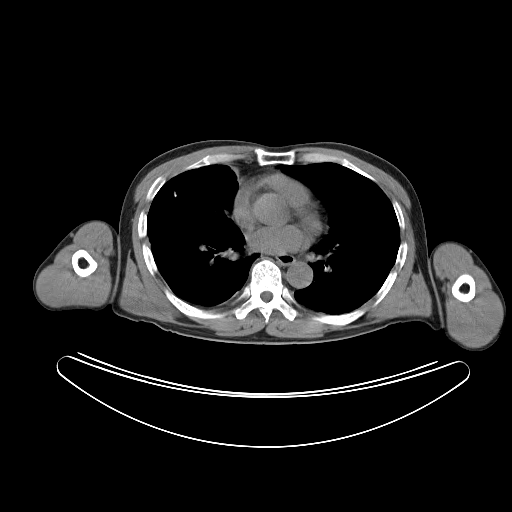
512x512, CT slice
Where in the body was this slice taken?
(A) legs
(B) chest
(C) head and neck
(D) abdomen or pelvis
Answer: (B) chest
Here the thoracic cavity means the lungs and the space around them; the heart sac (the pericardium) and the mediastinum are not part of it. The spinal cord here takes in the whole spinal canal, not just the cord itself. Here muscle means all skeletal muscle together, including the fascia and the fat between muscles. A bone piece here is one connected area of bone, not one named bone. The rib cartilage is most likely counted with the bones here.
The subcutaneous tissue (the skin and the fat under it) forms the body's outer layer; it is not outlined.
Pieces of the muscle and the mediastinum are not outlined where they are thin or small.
{"muscle":[[[229,145],[254,146],[255,161],[242,159],[244,156],[240,153],[207,153],[168,179],[163,174],[159,175],[145,195],[145,200],[150,202],[147,212],[142,209],[138,215],[137,235],[141,239],[147,237],[149,242],[141,244],[146,268],[151,276],[160,274],[168,287],[163,289],[166,298],[181,313],[200,319],[221,319],[229,313],[243,320],[252,310],[258,309],[267,324],[275,309],[291,322],[300,310],[306,308],[317,312],[309,317],[312,323],[344,326],[366,312],[360,307],[371,298],[374,297],[373,307],[384,298],[398,275],[398,271],[392,268],[401,269],[407,256],[408,244],[400,238],[400,230],[405,229],[402,208],[396,199],[390,200],[371,174],[346,157],[320,151],[298,153],[295,148],[321,147],[344,151],[381,169],[405,190],[411,204],[408,215],[415,242],[414,259],[432,296],[432,314],[427,317],[398,316],[329,331],[320,337],[302,338],[270,335],[263,329],[247,335],[222,336],[199,327],[164,322],[124,310],[118,297],[128,251],[133,247],[132,218],[137,185],[149,171],[166,161],[200,149]],{"outer":[[91,222],[100,222],[105,224],[111,231],[113,237],[114,255],[111,259],[112,285],[107,301],[99,306],[67,305],[54,307],[44,303],[38,296],[36,290],[36,282],[40,272],[46,266],[49,265],[57,253],[68,242],[73,239],[76,232],[82,226]],"hole":[[78,249],[84,249],[86,250],[91,255],[91,256],[96,261],[97,263],[97,266],[95,270],[89,275],[85,277],[81,277],[79,276],[74,271],[73,269],[73,267],[72,266],[72,263],[71,262],[71,257],[73,253],[76,250]]},{"outer":[[446,243],[453,243],[463,247],[474,258],[477,265],[486,274],[492,289],[500,300],[502,313],[496,333],[489,342],[482,346],[466,346],[452,337],[448,332],[446,326],[444,296],[441,293],[440,285],[435,276],[433,264],[433,256],[435,251],[438,247]],"hole":[[462,273],[468,273],[470,275],[471,275],[473,277],[474,281],[475,282],[475,294],[473,298],[471,300],[467,302],[463,302],[462,301],[460,301],[458,299],[454,297],[454,296],[452,294],[452,291],[451,290],[452,288],[452,284],[454,282],[456,278]]},[[228,302],[231,302],[230,303],[230,304],[232,307],[227,312],[226,311],[215,311],[215,310],[212,308],[205,308],[211,308],[212,307],[214,307],[215,306],[218,306],[219,305],[221,305],[222,304],[225,304]]],"spinal_cord":[[[265,291],[268,291],[269,292],[270,292],[272,294],[272,296],[271,297],[271,298],[268,301],[265,301],[264,300],[263,300],[261,298],[261,293],[262,293],[263,292],[264,292]]],"torso":[[[210,139],[246,140],[270,146],[341,142],[370,151],[400,169],[420,202],[429,274],[439,303],[441,329],[434,331],[424,323],[409,322],[325,343],[246,345],[185,337],[151,323],[117,316],[110,307],[119,270],[117,229],[122,202],[131,181],[159,154]]],"bones":[{"outer":[[262,259],[271,260],[279,268],[282,283],[304,309],[300,309],[299,314],[291,321],[275,308],[272,310],[267,323],[258,308],[252,309],[243,319],[238,319],[234,314],[228,312],[233,307],[231,304],[232,301],[241,293],[243,287],[250,280],[252,265]],"hole":[[265,291],[268,291],[269,292],[270,292],[272,294],[272,296],[271,297],[271,298],[268,301],[265,301],[264,300],[263,300],[261,298],[261,293],[262,293],[263,292],[264,292]]},[[256,147],[272,152],[283,152],[294,149],[298,154],[308,152],[320,152],[341,156],[346,158],[360,169],[371,175],[376,181],[375,182],[348,167],[331,161],[309,163],[303,163],[296,161],[292,164],[260,165],[256,161],[256,155],[254,152],[254,149]],[[165,288],[169,288],[177,297],[191,305],[200,308],[204,308],[205,309],[212,309],[214,310],[215,312],[226,312],[227,313],[221,318],[200,318],[199,317],[194,317],[193,316],[192,317],[191,316],[188,316],[181,312],[167,298],[164,292],[164,289]],[[358,308],[363,308],[365,309],[365,312],[357,319],[344,325],[335,325],[334,324],[319,323],[318,322],[316,323],[315,322],[312,322],[310,320],[310,317],[313,314],[315,314],[318,312],[321,312],[325,314],[338,315],[339,314],[351,312]],[[462,273],[468,273],[470,275],[471,275],[473,277],[474,281],[475,282],[475,294],[473,298],[471,300],[467,302],[463,302],[462,301],[460,301],[458,299],[454,297],[454,296],[452,294],[452,291],[451,290],[452,288],[452,284],[454,282],[456,278]],[[78,249],[84,249],[86,250],[91,255],[91,256],[96,261],[97,263],[97,266],[95,270],[89,275],[85,277],[81,277],[79,276],[74,271],[73,269],[73,267],[72,266],[72,263],[71,262],[71,257],[73,253],[76,250]],[[223,152],[225,153],[234,153],[235,154],[240,154],[243,156],[241,159],[230,161],[227,163],[212,163],[208,165],[203,165],[199,167],[196,167],[195,168],[191,168],[190,169],[184,170],[188,165],[195,162],[207,154],[214,154],[215,153],[222,153]],[[392,269],[394,269],[397,271],[397,275],[391,287],[389,289],[387,293],[383,297],[383,298],[375,306],[373,306],[373,303],[375,301],[375,297],[374,296],[375,294],[381,287],[385,279],[387,277],[388,274]],[[143,243],[146,243],[148,245],[149,245],[149,247],[150,248],[150,250],[151,251],[151,253],[152,254],[154,262],[158,270],[158,272],[156,272],[154,274],[154,275],[151,275],[145,263],[145,261],[143,257],[143,252],[142,251],[142,244]],[[162,175],[165,176],[165,177],[166,178],[166,181],[161,186],[161,187],[155,194],[155,195],[153,197],[153,198],[151,201],[148,201],[147,200],[146,200],[146,195],[147,194],[147,192],[148,191],[150,186],[156,178],[157,178],[159,176],[161,176]],[[403,241],[406,242],[407,244],[407,251],[406,252],[406,256],[405,257],[405,260],[404,261],[404,263],[401,267],[401,268],[399,269],[397,267],[394,266],[394,265],[395,264],[395,261],[397,257],[397,253],[398,252],[398,249],[399,248],[400,243]],[[142,210],[143,210],[146,213],[147,213],[147,217],[146,218],[146,237],[143,237],[142,238],[141,238],[140,237],[139,237],[139,236],[138,235],[138,230],[137,229],[137,226],[138,225],[138,220],[139,219],[139,215],[140,214],[140,213]],[[393,200],[396,200],[398,202],[401,208],[401,211],[402,212],[402,214],[403,215],[403,219],[404,220],[404,229],[403,230],[401,230],[399,227],[399,224],[397,220],[397,217],[396,216],[396,214],[395,213],[394,208],[392,205],[392,201]]],"left_arm":[[[444,240],[456,240],[462,242],[470,247],[485,264],[503,295],[506,306],[506,311],[501,331],[496,342],[489,348],[485,350],[482,351],[468,351],[465,350],[448,340],[442,330],[440,303],[430,274],[429,252],[431,251],[432,248],[436,244]]],"pericardium":[[[259,169],[277,170],[298,180],[307,186],[321,203],[325,211],[327,228],[319,236],[317,241],[307,250],[301,253],[287,255],[271,255],[264,251],[252,249],[246,242],[244,235],[232,218],[231,213],[233,210],[234,199],[239,188],[239,180],[245,175]]],"thoracic_cavity":[[[212,164],[226,164],[236,175],[238,188],[233,199],[232,210],[228,215],[243,235],[244,247],[248,253],[258,253],[258,257],[250,267],[249,280],[233,300],[211,307],[200,307],[177,296],[159,272],[147,236],[147,218],[151,202],[167,180],[184,171]],[[323,162],[339,164],[373,181],[391,202],[399,228],[400,242],[394,264],[380,287],[359,307],[338,314],[304,307],[293,295],[295,291],[307,288],[314,281],[314,271],[310,264],[312,248],[330,227],[328,209],[321,200],[307,185],[284,173],[279,167]]],"mediastinum":[[[316,242],[311,248],[311,262],[309,263],[313,271],[313,281],[307,287],[297,289],[293,293],[283,283],[282,272],[271,259],[262,258],[253,263],[259,257],[259,253],[249,253],[245,247],[246,243],[252,250],[264,252],[271,256],[287,256],[301,254]],[[238,160],[243,160],[246,162],[256,162],[257,164],[260,166],[266,166],[267,165],[279,165],[278,167],[281,171],[273,168],[259,168],[256,170],[254,170],[245,174],[241,177],[238,181],[238,178],[236,173],[227,164],[230,162],[233,162]]],"right_arm":[[[89,219],[101,219],[104,220],[111,224],[117,230],[117,238],[119,247],[118,270],[114,283],[110,306],[107,306],[100,311],[96,312],[90,310],[69,310],[68,311],[56,312],[45,309],[38,303],[33,294],[32,280],[34,273],[40,263],[74,227]]]}